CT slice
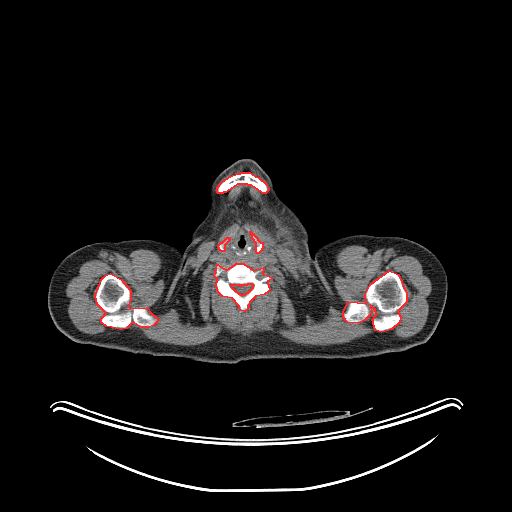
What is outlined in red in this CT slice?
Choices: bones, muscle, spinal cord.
red: bones.
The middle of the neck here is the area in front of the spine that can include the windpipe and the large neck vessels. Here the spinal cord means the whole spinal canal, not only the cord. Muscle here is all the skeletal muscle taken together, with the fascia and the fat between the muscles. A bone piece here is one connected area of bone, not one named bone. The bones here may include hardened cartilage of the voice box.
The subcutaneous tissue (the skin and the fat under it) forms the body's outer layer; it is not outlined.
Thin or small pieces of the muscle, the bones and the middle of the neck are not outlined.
bones 1: [[389,270],[398,274],[406,293],[406,302],[397,311],[400,316],[399,322],[391,329],[381,332],[375,330],[372,319],[376,314],[375,309],[370,305],[371,313],[364,320],[358,323],[347,322],[343,317],[343,312],[348,301],[366,303],[365,294],[370,284]]
bones 2: [[110,273],[121,279],[130,290],[130,300],[127,306],[130,308],[147,307],[149,311],[157,318],[157,321],[153,325],[148,327],[141,327],[132,322],[126,328],[120,329],[106,326],[101,322],[101,318],[106,313],[97,304],[95,295],[101,279],[105,275]]
bones 3: [[236,263],[243,263],[253,270],[263,267],[262,273],[271,277],[271,279],[267,281],[269,290],[264,294],[255,296],[249,302],[247,309],[244,311],[240,310],[239,306],[232,298],[222,296],[218,292],[216,286],[217,279],[214,276],[217,264],[226,270]] with a hole at [[248,283],[251,283],[252,284],[252,288],[247,293],[246,293],[244,295],[241,295],[240,294],[239,294],[237,292],[236,292],[232,288],[232,287],[231,286],[231,285],[232,284],[239,284],[240,285],[241,285],[242,284],[247,284]]
bones 4: [[241,172],[249,172],[255,176],[258,177],[266,184],[268,188],[268,190],[265,193],[263,193],[251,185],[248,185],[247,184],[237,184],[225,192],[223,192],[222,193],[218,193],[216,190],[217,189],[217,187],[221,182],[230,176],[237,173],[240,173]]
bones 5: [[250,231],[257,238],[257,239],[260,242],[262,242],[262,248],[261,249],[261,250],[258,253],[257,253],[256,252],[256,250],[255,249],[256,248],[256,243],[254,241],[254,240],[252,238],[252,236],[251,235],[251,234],[250,233]]
bones 6: [[227,237],[229,237],[229,239],[228,240],[228,241],[224,245],[224,250],[223,251],[221,251],[219,249],[219,248],[218,247],[218,245],[221,242],[222,242]]
left arm: [[357,234],[366,234],[374,236],[396,236],[415,241],[430,250],[442,264],[447,276],[447,297],[440,320],[434,332],[425,343],[414,346],[406,350],[394,341],[383,330],[351,310],[343,300],[335,280],[333,268],[328,259],[328,244],[329,242],[338,238]]
head and neck: [[242,158],[254,160],[270,177],[280,199],[297,215],[305,227],[308,234],[309,251],[312,256],[312,285],[306,321],[299,334],[273,358],[241,358],[221,350],[194,291],[184,252],[190,242],[193,231],[204,218],[209,207],[208,190],[212,181],[225,168]]
right arm: [[130,239],[151,239],[161,241],[159,263],[151,280],[136,301],[119,318],[116,323],[110,329],[98,338],[87,344],[77,343],[71,340],[58,330],[53,323],[48,310],[47,294],[50,279],[54,270],[58,264],[68,254],[82,246],[95,242],[117,242]]
middle of the neck: [[242,227],[249,230],[251,238],[255,243],[255,248],[254,249],[255,252],[258,254],[262,249],[262,251],[261,254],[255,259],[238,262],[231,259],[228,259],[221,252],[223,252],[225,250],[225,245],[230,239],[230,237],[228,236],[234,230]]
muscle 1: [[237,185],[269,192],[328,296],[337,295],[335,255],[348,245],[393,247],[415,257],[432,284],[421,330],[405,338],[389,330],[400,322],[398,311],[407,302],[403,282],[391,269],[369,284],[366,302],[348,300],[342,312],[347,323],[358,324],[364,321],[372,313],[370,306],[374,309],[376,332],[341,344],[303,345],[270,331],[243,335],[226,330],[197,345],[157,342],[125,329],[132,323],[148,328],[158,318],[147,306],[128,306],[131,290],[110,272],[100,279],[94,295],[105,313],[100,322],[108,327],[95,334],[77,329],[67,312],[65,288],[84,262],[102,249],[124,255],[140,248],[157,252],[162,259],[158,276],[164,280],[159,305],[167,304],[217,214],[216,191],[222,194]]; inner edge: [[242,227],[262,242],[261,254],[255,259],[242,262],[253,270],[263,267],[262,273],[271,277],[267,281],[269,290],[255,296],[244,311],[240,310],[232,298],[218,292],[217,279],[214,276],[217,264],[226,270],[238,262],[222,254],[218,245],[234,230]]
muscle 2: [[241,165],[250,166],[254,169],[255,169],[261,175],[261,176],[264,179],[266,183],[261,178],[249,171],[241,171],[240,172],[234,173],[230,175],[228,177],[225,178],[222,181],[221,181],[221,180],[228,173],[238,168]]
torso 1: [[162,242],[176,247],[181,252],[183,251],[192,283],[193,291],[220,350],[236,358],[258,359],[242,360],[236,363],[210,363],[175,356],[154,356],[150,354],[135,354],[117,349],[104,348],[88,344],[98,339],[110,330],[145,291],[152,280],[160,263]]
torso 2: [[328,242],[327,244],[327,259],[332,268],[334,280],[344,303],[355,314],[383,331],[394,342],[402,347],[405,350],[404,351],[388,352],[378,355],[357,358],[274,358],[300,334],[307,321],[309,315],[309,308],[313,285],[313,256],[315,251],[319,247]]
spinal cord: [[248,283],[251,283],[252,284],[252,288],[247,293],[246,293],[244,295],[241,295],[240,294],[239,294],[237,292],[236,292],[232,288],[232,287],[231,286],[231,285],[232,284],[239,284],[240,285],[241,285],[242,284],[247,284]]